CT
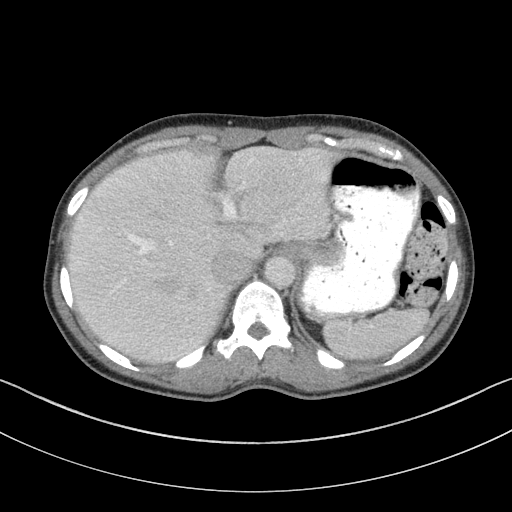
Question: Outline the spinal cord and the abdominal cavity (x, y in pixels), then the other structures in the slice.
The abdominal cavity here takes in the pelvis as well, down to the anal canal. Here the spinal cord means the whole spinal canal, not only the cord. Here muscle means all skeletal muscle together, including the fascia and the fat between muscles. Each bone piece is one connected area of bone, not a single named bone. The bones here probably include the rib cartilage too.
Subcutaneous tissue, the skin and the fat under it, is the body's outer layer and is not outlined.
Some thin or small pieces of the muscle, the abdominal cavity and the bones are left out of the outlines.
Answer: The spinal cord is outlined by 257 339; 259 339; 261 337; 262 337; 265 334; 266 334; 268 332; 268 331; 267 330; 267 329; 260 322; 256 322; 255 323; 254 323; 249 328; 249 329; 248 330; 248 333; 251 336; 252 336; 253 337; 254 337; 255 338; 256 338. The abdominal cavity is outlined by 146 365; 174 362; 207 342; 269 253; 296 264; 286 313; 318 347; 343 360; 391 355; 421 333; 443 293; 449 236; 435 197; 401 162; 322 143; 286 148; 262 139; 225 149; 190 142; 120 162; 74 215; 67 267; 74 304; 92 333. The muscle is outlined by 208 394; 220 392; 250 380; 263 379; 264 378; 269 378; 275 382; 287 383; 299 390; 310 391; 311 392; 312 391; 323 391; 324 390; 347 387; 354 384; 361 383; 366 380; 373 379; 379 376; 388 374; 394 371; 397 371; 413 363; 431 349; 443 336; 449 327; 455 317; 458 308; 461 303; 465 284; 465 279; 466 278; 466 257; 463 250; 461 222; 456 207; 444 186; 428 167; 410 151; 393 140; 374 133; 359 131; 355 129; 342 126; 302 125; 301 126; 289 126; 283 128; 264 130; 257 128; 239 127; 238 126; 235 127; 220 127; 219 126; 211 126; 210 125; 190 124; 189 125; 181 125; 175 127; 172 126; 166 127; 158 131; 150 133; 140 138; 133 140; 114 151; 83 177; 73 190; 72 194; 62 211; 61 221; 57 233; 57 239; 56 240; 57 241; 57 246; 56 247; 55 262; 53 267; 51 290; 55 306; 62 320; 77 341; 86 351; 112 370; 114 370; 126 376; 163 387; 181 391; 195 392; 196 393; 207 393, around a hole outlined by 135 371; 140 369; 132 361; 191 366; 200 360; 224 319; 225 326; 233 325; 232 331; 212 344; 227 359; 241 345; 259 360; 271 345; 293 351; 289 319; 318 346; 317 358; 326 367; 340 369; 344 360; 387 355; 391 357; 382 365; 401 360; 422 342; 421 332; 442 294; 449 300; 457 282; 457 264; 449 261; 446 225; 455 223; 452 205; 441 194; 434 197; 417 174; 401 163; 398 149; 363 138; 311 133; 308 141; 323 142; 302 147; 286 148; 262 139; 225 149; 215 143; 214 136; 201 134; 139 145; 137 155; 71 198; 67 214; 74 219; 67 265; 61 266; 59 276; 67 304; 76 306; 100 340; 98 347; 114 362. The mediastinum is outlined by 284 301; 287 301; 286 300; 287 296; 289 295; 289 292; 291 291; 292 289; 291 288; 295 283; 294 282; 296 273; 295 264; 291 259; 283 254; 269 254; 260 261; 256 268; 255 273; 260 279; 274 287; 280 293. The bones appear in 11 outlined pieces: piece 1: 259 360; 271 345; 291 351; 293 345; 288 338; 291 326; 281 296; 274 288; 254 275; 238 292; 231 317; 225 320; 225 326; 230 323; 233 325; 232 331; 225 338; 214 339; 212 344; 216 351; 227 359; 237 347; 245 345; inner edge: 257 339; 259 339; 261 337; 262 337; 265 334; 266 334; 268 332; 268 331; 267 330; 267 329; 260 322; 256 322; 255 323; 254 323; 249 328; 249 329; 248 330; 248 333; 251 336; 252 336; 253 337; 254 337; 255 338; 256 338; piece 2: 399 161; 401 161; 403 159; 403 155; 398 149; 387 146; 385 144; 377 141; 363 138; 335 139; 330 136; 326 136; 318 133; 311 133; 306 136; 306 139; 308 141; 318 141; 319 140; 332 146; 364 149; 367 151; 370 151; 385 157; piece 3: 138 153; 145 153; 148 151; 157 149; 159 147; 178 145; 182 143; 187 143; 190 141; 196 142; 201 139; 215 141; 216 138; 214 136; 201 134; 198 135; 194 139; 191 139; 189 137; 180 137; 173 139; 157 140; 139 145; 135 149; piece 4: 382 365; 389 365; 390 364; 392 364; 395 362; 397 362; 401 360; 403 358; 407 356; 422 342; 425 337; 425 335; 424 334; 420 334; 418 336; 417 336; 405 346; 394 353; 391 356; 391 357; 388 360; 385 361; 382 364; piece 5: 135 371; 139 371; 140 369; 137 366; 134 365; 128 358; 120 354; 115 350; 112 349; 109 346; 101 342; 99 343; 97 343; 97 345; 98 347; 106 355; 106 356; 107 356; 111 360; 124 367; 126 367; 127 368; 132 369; piece 6: 446 300; 449 300; 450 299; 454 291; 454 289; 457 282; 457 279; 458 278; 458 269; 457 268; 457 264; 454 259; 451 260; 449 264; 449 267; 448 268; 448 273; 447 274; 447 278; 446 279; 446 285; 444 290; 444 295; piece 7: 70 308; 72 308; 73 307; 73 298; 71 294; 71 288; 69 284; 69 277; 68 276; 68 273; 67 272; 67 268; 66 266; 64 265; 62 265; 60 268; 60 275; 59 276; 60 287; 61 288; 61 290; 62 291; 63 296; 67 304; piece 8: 336 369; 340 369; 344 367; 345 365; 344 362; 342 360; 340 359; 338 359; 334 357; 327 351; 321 348; 317 348; 316 349; 316 355; 317 356; 317 358; 319 362; 322 365; 326 367; 329 367; 330 368; 335 368; piece 9: 179 368; 182 368; 183 367; 189 367; 193 364; 194 364; 196 362; 197 362; 199 360; 200 360; 203 354; 204 349; 206 347; 206 345; 207 343; 200 346; 193 352; 188 354; 186 356; 177 360; 174 363; 175 364; 175 366; piece 10: 450 224; 454 224; 455 223; 455 213; 454 212; 453 207; 450 203; 450 202; 444 196; 443 196; 441 194; 438 194; 436 196; 436 199; 437 200; 438 205; 439 206; 439 207; 442 212; 442 214; 444 216; 446 221; piece 11: 69 216; 72 216; 75 213; 75 212; 77 210; 77 209; 85 198; 85 197; 87 194; 87 192; 89 189; 87 186; 84 186; 80 189; 79 189; 73 195; 73 196; 71 198; 71 199; 68 203; 68 205; 67 206; 67 214. The torso is outlined by 205 402; 258 388; 308 400; 354 394; 410 377; 445 350; 466 314; 473 291; 472 236; 466 212; 454 189; 408 139; 376 121; 345 114; 177 113; 129 131; 69 183; 52 217; 42 281; 47 309; 61 335; 86 366; 113 382; 158 395.